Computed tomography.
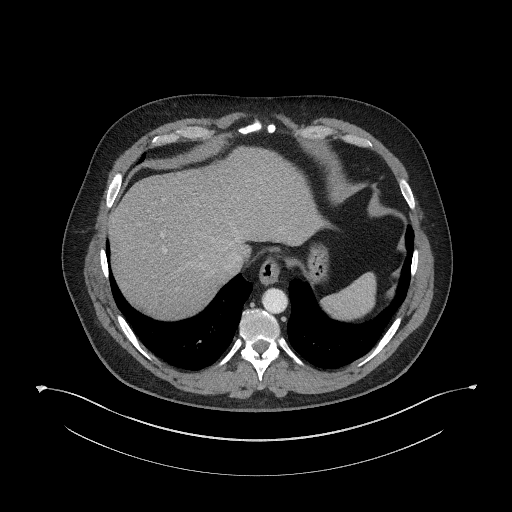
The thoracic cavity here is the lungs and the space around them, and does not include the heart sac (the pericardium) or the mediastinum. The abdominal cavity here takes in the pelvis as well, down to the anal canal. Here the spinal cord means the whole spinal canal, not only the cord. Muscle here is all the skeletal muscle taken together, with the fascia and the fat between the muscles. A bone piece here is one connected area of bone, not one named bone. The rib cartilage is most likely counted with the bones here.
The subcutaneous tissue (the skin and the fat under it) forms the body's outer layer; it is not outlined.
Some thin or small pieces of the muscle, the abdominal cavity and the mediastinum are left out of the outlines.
{"spinal_cord":[[[260,354],[261,353],[262,353],[262,352],[266,348],[266,347],[267,346],[267,344],[265,342],[264,342],[263,341],[259,341],[257,343],[256,343],[254,345],[254,348]]],"abdominal_cavity":[[[359,323],[390,303],[409,224],[401,212],[381,204],[374,185],[348,185],[326,141],[276,130],[246,136],[223,131],[181,155],[144,162],[122,185],[106,233],[111,271],[126,301],[148,317],[172,322],[197,315],[258,255],[272,253],[302,273],[326,314]]],"muscle":[{"outer":[[239,399],[247,398],[257,391],[267,391],[272,393],[277,397],[283,397],[285,396],[289,391],[292,391],[301,394],[317,394],[318,393],[324,393],[325,392],[333,391],[345,387],[352,383],[354,383],[367,375],[371,371],[385,361],[396,350],[399,345],[422,323],[429,310],[429,307],[433,297],[433,283],[434,282],[433,261],[434,260],[430,247],[428,227],[424,217],[423,211],[409,178],[408,173],[404,165],[399,159],[380,141],[367,131],[354,124],[332,117],[318,117],[311,120],[307,123],[298,123],[283,113],[269,112],[268,111],[234,111],[216,118],[213,117],[186,117],[165,123],[151,130],[140,137],[137,140],[131,143],[117,157],[108,173],[108,176],[99,201],[99,204],[95,215],[92,230],[90,234],[87,252],[84,260],[84,269],[83,270],[84,280],[87,288],[87,291],[92,301],[97,318],[100,324],[128,353],[146,369],[150,371],[157,377],[169,382],[176,388],[187,392],[192,392],[197,394],[204,394],[205,395],[207,394],[210,395],[225,394],[232,398],[238,398]],"hole":[[260,382],[282,351],[300,366],[304,366],[304,360],[322,369],[339,368],[356,360],[361,366],[392,338],[402,320],[396,314],[418,264],[407,210],[415,207],[411,188],[403,178],[397,186],[383,160],[363,148],[372,147],[369,140],[346,134],[339,136],[343,143],[327,142],[322,139],[336,132],[322,125],[307,126],[294,135],[277,131],[275,123],[263,130],[255,119],[236,131],[223,131],[211,138],[214,131],[199,126],[157,135],[151,142],[165,144],[145,151],[123,182],[122,174],[115,174],[106,191],[106,207],[111,210],[99,258],[121,314],[117,321],[125,336],[149,360],[150,352],[176,368],[195,371],[218,359],[217,366],[222,366],[238,352],[253,366]]}],"thoracic_cavity":[[[189,371],[211,365],[228,349],[237,329],[242,306],[251,291],[251,285],[238,275],[230,280],[206,309],[197,316],[182,322],[159,322],[135,310],[125,301],[110,271],[109,262],[109,246],[106,238],[105,249],[109,260],[110,270],[110,280],[108,283],[120,313],[149,352],[176,368]],[[322,369],[339,368],[363,356],[377,343],[396,317],[410,283],[409,265],[414,237],[410,226],[406,230],[407,256],[396,293],[391,303],[368,322],[359,324],[333,320],[317,305],[311,289],[305,282],[293,279],[290,283],[288,341],[302,359]],[[132,168],[133,167],[134,167],[136,165],[137,165],[141,161],[142,161],[143,160],[143,159],[144,158],[144,157],[145,156],[145,151],[139,157],[139,158],[131,166],[131,167]]],"bones":[{"outer":[[260,382],[266,368],[281,355],[282,351],[296,364],[304,366],[304,363],[280,334],[279,324],[273,315],[261,309],[247,309],[242,312],[239,322],[239,336],[228,352],[218,362],[217,366],[226,364],[238,352],[241,359],[249,362],[253,366],[257,372]],"hole":[[260,354],[261,353],[262,353],[262,352],[266,348],[266,347],[267,346],[267,344],[265,342],[264,342],[263,341],[259,341],[257,343],[256,343],[254,345],[254,348]]},[[153,144],[173,142],[177,140],[180,137],[189,138],[190,139],[196,139],[197,138],[202,138],[204,139],[207,137],[209,137],[213,134],[214,131],[199,126],[186,126],[183,128],[178,129],[174,132],[169,134],[157,135],[155,136],[151,140],[151,142]],[[357,366],[361,366],[370,360],[386,345],[386,344],[392,338],[398,329],[400,325],[400,323],[402,320],[402,318],[401,317],[397,317],[394,320],[390,327],[387,330],[378,343],[371,350],[370,350],[369,352],[368,352],[363,357],[360,358],[358,360]],[[149,360],[152,360],[151,357],[144,349],[144,348],[139,343],[138,339],[136,337],[136,336],[134,334],[134,333],[132,331],[126,321],[121,315],[117,315],[116,317],[117,321],[125,336],[130,341],[130,342],[135,347],[135,348],[143,356],[144,356]],[[322,139],[325,137],[331,136],[335,134],[336,132],[332,128],[330,127],[327,127],[326,126],[323,126],[322,125],[311,125],[310,126],[307,126],[304,128],[302,128],[298,130],[296,132],[296,135],[299,135],[300,136],[307,136],[308,137],[319,137]],[[108,209],[110,209],[111,208],[118,194],[118,192],[119,191],[119,189],[120,188],[120,186],[122,182],[122,174],[121,173],[117,173],[115,174],[112,178],[112,179],[110,181],[108,185],[108,187],[106,191],[106,207]],[[410,210],[413,210],[415,207],[415,202],[414,201],[414,197],[413,196],[413,194],[412,193],[411,188],[410,187],[409,184],[407,182],[407,181],[403,178],[400,178],[398,180],[398,186],[399,187],[400,192],[401,193],[405,202],[407,204],[407,205]],[[369,148],[371,148],[372,147],[372,144],[371,142],[367,139],[361,138],[360,137],[357,137],[356,136],[354,136],[350,134],[346,134],[345,135],[341,135],[339,136],[340,139],[342,141],[346,143],[354,144],[355,145],[361,146],[362,147],[368,147]],[[244,135],[246,135],[247,134],[250,134],[251,133],[257,133],[259,132],[262,129],[262,124],[261,122],[257,119],[255,119],[254,121],[250,124],[248,124],[244,126],[240,126],[238,127],[237,129],[238,132]],[[108,281],[109,280],[109,270],[108,269],[108,260],[106,256],[106,253],[105,252],[105,250],[104,248],[102,248],[100,249],[99,251],[99,258],[100,259],[100,265],[101,266],[102,271],[104,274],[104,276]],[[411,281],[412,280],[412,279],[413,278],[413,277],[415,274],[415,272],[417,269],[417,265],[418,264],[418,250],[417,249],[414,249],[413,250],[413,253],[412,254],[412,257],[411,258],[411,264],[410,265],[410,280]],[[269,134],[272,134],[275,131],[275,130],[276,129],[276,125],[275,124],[275,123],[270,123],[268,125],[267,125],[267,126],[266,127],[266,131],[267,132],[267,133],[268,133]]],"torso":[[[245,413],[328,406],[364,396],[391,383],[419,356],[445,308],[452,281],[453,252],[439,191],[417,138],[399,119],[379,107],[327,95],[175,95],[145,103],[124,114],[108,128],[94,150],[61,245],[64,282],[93,350],[118,380],[136,391],[184,406]]],"mediastinum":[[[286,338],[286,322],[290,314],[289,283],[293,278],[308,283],[298,270],[295,268],[284,267],[279,262],[276,255],[261,255],[239,274],[243,279],[252,285],[252,291],[243,306],[243,310],[247,308],[261,308],[273,314],[280,324],[281,334]],[[411,226],[407,208],[394,179],[383,160],[377,154],[370,150],[340,142],[327,142],[331,146],[340,163],[340,166],[347,183],[349,184],[350,183],[359,183],[368,181],[374,184],[380,193],[382,204],[387,204],[401,211],[404,214],[407,221],[409,222]],[[124,181],[131,171],[141,163],[143,163],[144,161],[151,159],[154,157],[167,157],[172,155],[178,155],[183,153],[188,149],[192,148],[201,142],[175,142],[148,149],[146,151],[146,156],[144,160],[134,168],[132,169],[130,167],[129,168],[129,170]]]}